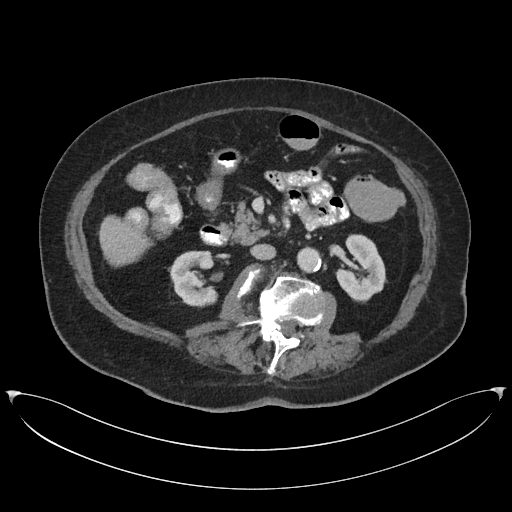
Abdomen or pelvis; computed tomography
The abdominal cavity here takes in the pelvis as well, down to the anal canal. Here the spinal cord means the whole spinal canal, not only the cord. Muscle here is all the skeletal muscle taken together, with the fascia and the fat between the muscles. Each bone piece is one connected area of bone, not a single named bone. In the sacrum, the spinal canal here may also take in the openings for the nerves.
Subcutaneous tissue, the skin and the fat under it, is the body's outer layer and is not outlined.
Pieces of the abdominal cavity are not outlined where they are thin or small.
The abdominal cavity is outlined by (241, 111) (304, 116) (372, 146) (393, 164) (415, 204) (421, 259) (397, 312) (374, 335) (330, 332) (338, 306) (333, 293) (295, 274) (267, 277) (255, 263) (236, 276) (217, 319) (194, 324) (182, 333) (127, 315) (96, 284) (83, 219) (108, 170) (144, 144) (200, 120). The torso is outlined by (242, 77) (323, 82) (390, 105) (414, 121) (438, 145) (464, 191) (471, 221) (464, 326) (438, 357) (369, 395) (324, 407) (266, 405) (219, 413) (176, 405) (87, 367) (66, 349) (51, 324) (39, 259) (38, 217) (45, 186) (66, 148) (94, 121) (129, 102) (190, 84). The spinal cord is outlined by (285, 320) (295, 320) (297, 322) (297, 330) (296, 331) (296, 333) (295, 334) (295, 335) (292, 335) (291, 336) (289, 336) (288, 337) (287, 336) (286, 336) (283, 334) (283, 333) (281, 331) (281, 326) (279, 324) (278, 321) (281, 322) (282, 321) (284, 321). The muscle is outlined by (247, 105) (250, 106) (280, 106) (281, 107) (289, 107) (290, 108) (303, 110) (315, 114) (334, 123) (336, 125) (343, 127) (348, 130) (353, 131) (359, 135) (361, 135) (365, 138) (372, 140) (376, 143) (383, 146) (389, 150) (394, 155) (401, 159) (421, 180) (429, 193) (432, 202) (432, 205) (435, 210) (436, 234) (437, 235) (436, 261) (432, 272) (431, 278) (429, 281) (426, 294) (422, 300) (417, 311) (413, 317) (402, 329) (377, 345) (353, 366) (347, 368) (338, 374) (333, 376) (329, 376) (323, 378) (315, 378) (314, 377) (313, 378) (300, 378) (299, 379) (294, 379) (293, 378) (292, 379) (282, 379) (268, 375) (236, 373) (235, 372) (231, 372) (226, 369) (223, 369) (222, 368) (207, 366) (188, 354) (142, 338) (114, 325) (101, 314) (85, 297) (83, 292) (79, 288) (68, 264) (68, 261) (65, 253) (64, 238) (63, 237) (63, 234) (64, 233) (64, 219) (66, 216) (72, 198) (91, 174) (100, 168) (114, 156) (121, 152) (125, 148) (147, 137) (149, 137) (153, 134) (155, 134) (179, 121) (212, 110) (217, 110) (218, 109) (222, 109) (228, 107) (241, 107); inner edge: (241, 111) (298, 114) (375, 148) (411, 195) (421, 237) (387, 324) (366, 338) (330, 332) (338, 304) (322, 289) (321, 321) (274, 374) (274, 343) (236, 325) (259, 316) (254, 293) (237, 296) (257, 264) (217, 319) (179, 333) (106, 298) (83, 229) (96, 188) (132, 150). The bones are outlined by (258, 267) (264, 269) (267, 278) (289, 274) (314, 282) (320, 286) (325, 301) (321, 321) (302, 328) (304, 338) (298, 346) (283, 352) (274, 374) (266, 371) (274, 353) (274, 343) (262, 339) (260, 326) (256, 323) (236, 325) (259, 316) (254, 293) (237, 296) (248, 272); inner edge: (285, 320) (295, 320) (297, 322) (297, 330) (296, 331) (296, 333) (295, 334) (295, 335) (292, 335) (291, 336) (289, 336) (288, 337) (287, 336) (286, 336) (283, 334) (283, 333) (281, 331) (281, 326) (279, 324) (278, 321) (281, 322) (282, 321) (284, 321).